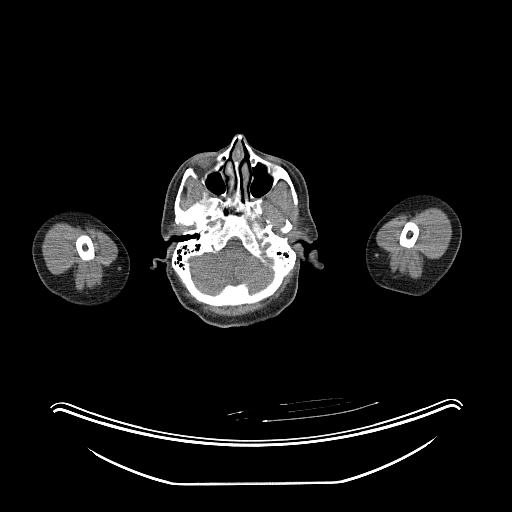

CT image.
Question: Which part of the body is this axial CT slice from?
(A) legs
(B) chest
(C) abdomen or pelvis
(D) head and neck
Answer: (D) head and neck
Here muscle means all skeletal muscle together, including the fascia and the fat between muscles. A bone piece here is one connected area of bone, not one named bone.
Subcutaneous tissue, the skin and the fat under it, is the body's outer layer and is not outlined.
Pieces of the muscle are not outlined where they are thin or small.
Outlines:
head: [[237,134],[252,148],[283,158],[302,173],[318,237],[301,243],[306,255],[317,250],[323,267],[300,263],[295,297],[275,316],[221,327],[179,302],[164,262],[150,267],[153,258],[166,255],[171,242],[162,238],[160,223],[173,174],[189,157],[228,146]] with holes at [[258,166],[263,166],[263,167],[265,168],[265,172],[271,177],[272,179],[272,182],[269,189],[263,195],[258,197],[255,197],[252,192],[250,191],[249,189],[250,184],[251,184],[254,180],[254,175],[252,174],[252,172],[250,170],[250,168],[252,169]] and at [[214,172],[218,172],[220,175],[220,177],[221,178],[221,179],[225,183],[225,188],[224,189],[224,190],[221,193],[220,193],[219,194],[216,194],[215,193],[212,192],[207,187],[207,186],[206,185],[206,180],[207,179],[208,176],[210,174],[211,174]] and at [[182,235],[189,235],[189,237],[188,237],[187,238],[186,238],[185,239],[184,239],[183,240],[180,240],[179,241],[177,241],[175,239],[174,239],[174,238],[175,237],[178,237],[179,236],[181,236]] and at [[244,147],[246,149],[246,150],[247,151],[247,153],[248,154],[248,159],[247,160],[247,161],[244,161]]
bones 1: [[237,134],[256,154],[283,167],[293,183],[296,205],[280,179],[255,220],[264,227],[268,219],[272,231],[287,238],[296,259],[268,297],[210,305],[190,294],[172,266],[177,242],[190,237],[183,232],[195,228],[175,223],[174,202],[185,170],[201,174]], around holes outlined by [[233,238],[238,239],[242,246],[261,263],[265,264],[266,258],[271,260],[269,265],[272,271],[271,279],[263,287],[254,291],[250,291],[244,281],[236,284],[227,283],[216,293],[203,291],[196,285],[193,279],[191,258],[206,253],[215,254],[223,249]] and by [[258,166],[263,166],[263,167],[265,168],[265,172],[271,177],[272,179],[272,182],[269,189],[263,195],[258,197],[255,197],[252,192],[250,191],[249,189],[250,184],[251,184],[254,180],[254,175],[252,174],[252,172],[250,170],[250,168],[252,169]] and by [[190,177],[193,180],[195,181],[198,180],[201,184],[201,185],[203,187],[203,190],[201,192],[201,197],[199,199],[196,200],[187,208],[185,209],[183,209],[180,206],[181,195],[184,189],[184,187],[185,186],[185,183],[187,181],[187,179]] and by [[214,172],[218,172],[220,175],[220,177],[221,178],[221,179],[225,183],[225,188],[224,189],[224,190],[221,193],[220,193],[219,194],[216,194],[215,193],[212,192],[207,187],[207,186],[206,185],[206,180],[207,179],[208,176],[210,174],[211,174]] and by [[244,147],[246,149],[246,150],[247,151],[247,153],[248,154],[248,159],[247,160],[247,161],[244,161]]
bones 2: [[408,221],[412,221],[413,222],[414,222],[417,225],[417,226],[419,229],[419,233],[418,234],[418,236],[415,241],[415,243],[414,244],[414,245],[410,248],[407,248],[406,247],[401,246],[399,243],[399,237],[400,236],[401,231],[402,230],[404,225]]
bones 3: [[83,234],[88,235],[90,237],[90,238],[93,243],[93,246],[94,247],[94,257],[93,258],[93,259],[91,259],[90,260],[83,260],[80,257],[80,256],[76,249],[76,246],[75,245],[75,242],[76,241],[77,238],[80,235],[82,235]]
bones 4: [[285,219],[288,219],[288,220],[290,222],[290,223],[291,224],[291,229],[289,231],[288,231],[286,233],[283,233],[280,230],[280,229],[285,224]]
right arm: [[70,209],[84,211],[95,216],[109,227],[117,235],[128,252],[130,259],[130,271],[125,287],[115,299],[103,305],[88,307],[73,304],[66,301],[61,297],[49,291],[40,280],[36,271],[32,257],[32,243],[36,231],[40,225],[50,216],[60,211]]
left arm: [[416,194],[430,194],[434,195],[439,197],[449,204],[455,211],[459,218],[462,232],[461,233],[460,246],[451,267],[437,284],[429,292],[422,296],[412,296],[389,290],[379,286],[370,277],[365,262],[366,244],[369,235],[374,226],[395,204],[404,198]]
muscle 1: [[435,206],[440,208],[446,213],[451,223],[452,237],[449,246],[445,253],[439,259],[434,267],[424,275],[423,277],[419,279],[401,279],[398,277],[394,277],[390,275],[385,270],[382,257],[380,255],[377,240],[375,238],[378,230],[386,222],[400,213]], around a hole outlined by [[408,221],[412,221],[413,222],[414,222],[417,225],[417,226],[419,229],[419,233],[418,234],[418,236],[415,241],[415,243],[414,244],[414,245],[410,248],[407,248],[406,247],[401,246],[399,243],[399,237],[400,236],[401,231],[402,230],[404,225]]
muscle 2: [[56,222],[74,222],[75,223],[91,225],[107,234],[115,242],[118,248],[118,255],[111,268],[106,282],[97,289],[90,291],[87,294],[78,293],[74,290],[72,286],[61,275],[60,276],[52,274],[46,267],[42,255],[41,245],[47,230],[50,226]] with a hole at [[83,234],[88,235],[90,237],[90,238],[93,243],[93,246],[94,247],[94,257],[93,258],[93,259],[91,259],[90,260],[83,260],[80,257],[80,256],[76,249],[76,246],[75,245],[75,242],[76,241],[77,238],[80,235],[82,235]]
muscle 3: [[265,158],[285,164],[293,171],[298,181],[301,196],[300,216],[308,231],[296,241],[297,256],[288,238],[273,231],[273,224],[268,218],[265,219],[264,226],[256,220],[263,213],[264,198],[280,180],[287,184],[293,204],[296,206],[299,202],[287,170]]; inner edge: [[285,219],[288,219],[288,220],[290,222],[290,223],[291,224],[291,229],[289,231],[288,231],[286,233],[283,233],[280,230],[280,229],[285,224]]
muscle 4: [[295,264],[293,275],[289,283],[277,299],[261,309],[237,316],[211,315],[205,312],[198,303],[191,301],[184,294],[184,288],[176,275],[189,294],[199,303],[207,304],[210,306],[239,306],[244,304],[254,304],[271,296],[279,288],[284,278],[294,268]]
muscle 5: [[190,177],[193,180],[195,181],[198,180],[201,184],[201,185],[203,187],[203,190],[201,192],[201,197],[199,199],[196,200],[187,208],[185,209],[183,209],[180,206],[181,195],[184,189],[184,187],[185,186],[185,183],[187,181],[187,179]]
muscle 6: [[185,168],[186,168],[184,170],[182,174],[181,179],[179,182],[179,185],[177,188],[177,190],[175,194],[175,197],[174,198],[174,201],[173,202],[173,213],[174,214],[173,221],[174,223],[176,225],[182,225],[185,227],[190,227],[194,225],[194,228],[187,228],[183,231],[177,227],[171,225],[170,223],[172,220],[172,215],[171,214],[172,213],[172,202],[174,199],[174,188],[175,187],[175,185],[179,175]]
muscle 7: [[208,159],[209,160],[210,159],[211,160],[207,165],[207,167],[206,167],[203,170],[203,171],[201,172],[201,173],[199,173],[195,169],[195,168],[192,166],[189,166],[187,167],[188,164],[190,162],[194,160],[197,160],[198,161],[204,162]]
brain: [[233,238],[238,239],[242,246],[261,263],[265,264],[266,258],[271,260],[269,265],[272,271],[271,279],[263,287],[254,291],[250,291],[244,281],[236,284],[227,283],[216,293],[203,291],[196,285],[193,279],[191,258],[206,253],[215,254],[223,249]]